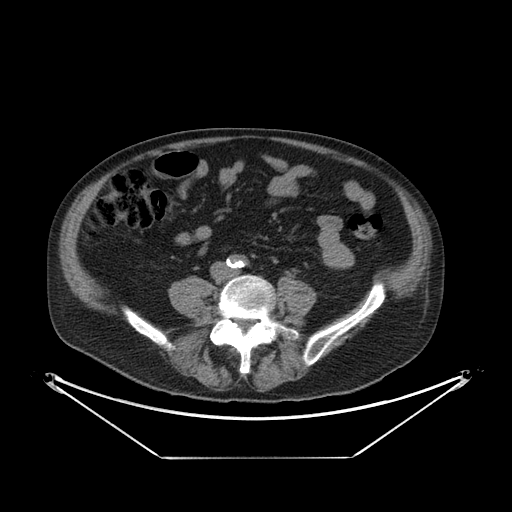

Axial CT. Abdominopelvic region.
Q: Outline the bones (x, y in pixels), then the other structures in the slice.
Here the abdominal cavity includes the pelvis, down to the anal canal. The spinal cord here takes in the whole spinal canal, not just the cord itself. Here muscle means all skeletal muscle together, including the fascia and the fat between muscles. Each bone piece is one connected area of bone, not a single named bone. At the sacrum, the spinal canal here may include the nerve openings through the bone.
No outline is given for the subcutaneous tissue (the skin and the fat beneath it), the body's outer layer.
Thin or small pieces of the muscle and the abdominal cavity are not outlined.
A: Outlines (x, y in pixels):
bones 1: 244,274 260,276 272,285 275,306 270,317 294,328 299,334 296,338 288,338 278,333 271,343 253,347 250,351 250,370 242,374 239,372 238,351 228,344 214,344 209,335 220,317 218,302 223,286 230,279 with a hole at 235,319 244,319 245,320 253,320 254,321 255,321 254,322 254,323 251,326 250,326 248,328 248,329 246,331 245,331 244,332 243,332 243,330 238,325 238,324 235,321 234,321 233,320 234,320
bones 2: 378,281 383,282 385,288 385,294 386,295 382,304 372,313 362,319 356,325 338,336 325,350 316,362 309,366 305,365 302,359 302,355 308,337 312,333 326,328 330,325 335,324 356,312 365,302 372,285
bones 3: 124,304 127,305 144,320 150,323 153,326 162,331 167,336 168,339 172,343 175,348 174,349 167,350 163,347 159,346 156,343 152,341 148,337 136,331 134,329 134,328 130,325 121,309 121,306
spinal cord: 235,319 244,319 245,320 253,320 254,321 255,321 254,322 254,323 251,326 250,326 248,328 248,329 246,331 245,331 244,332 243,332 243,330 238,325 238,324 235,321 234,321 233,320 234,320
torso: 207,127 291,129 349,141 387,160 421,191 442,234 444,293 434,333 411,362 380,381 347,394 298,402 217,402 171,395 141,385 69,347 58,337 47,307 46,246 52,218 64,195 89,169 126,146 166,133
abdominal cavity: 247,138 384,180 409,226 405,261 378,268 353,308 312,332 304,317 317,293 285,275 275,292 251,273 219,294 194,274 173,281 169,302 190,320 181,325 153,322 112,297 77,251 84,215 108,179 165,150
muscle 1: 192,275 216,288 219,317 208,337 216,346 237,351 242,375 251,370 253,348 271,344 278,334 288,339 300,334 270,315 276,306 278,280 285,276 309,285 316,300 303,317 303,331 311,333 301,359 307,367 315,364 299,379 265,391 251,387 242,377 230,389 216,391 181,374 154,344 174,350 168,336 135,311 162,326 189,323 171,304 168,289
muscle 2: 241,135 281,137 323,146 368,163 403,187 417,202 425,215 432,241 429,264 424,271 422,280 413,293 402,297 392,297 390,295 380,307 387,295 385,284 381,280 372,284 373,275 378,269 396,267 403,264 412,251 410,226 400,198 391,185 373,171 335,159 328,154 280,141 247,137 165,149 158,154 146,156 122,167 107,179 83,215 76,238 76,251 79,261 87,272 108,291 112,298 121,300 124,303 120,306 120,309 129,325 115,315 108,315 85,306 70,290 64,278 58,254 58,241 62,222 76,196 87,185 99,179 114,167 148,150 185,140
muscle 3: 377,309 378,309 377,310 378,311 373,315 373,316 365,325 365,326 362,329 358,331 353,337 351,338 348,338 341,345 334,348 329,353 319,360 326,350 338,337 341,336 350,329 356,326 362,320 372,314
muscle 4: 369,289 368,294 364,302 356,311 355,311 347,317 343,318 341,320 335,323 330,324 326,327 318,329 321,326 332,321 336,318 340,317 344,314 346,314 349,311 353,309 363,298 366,292